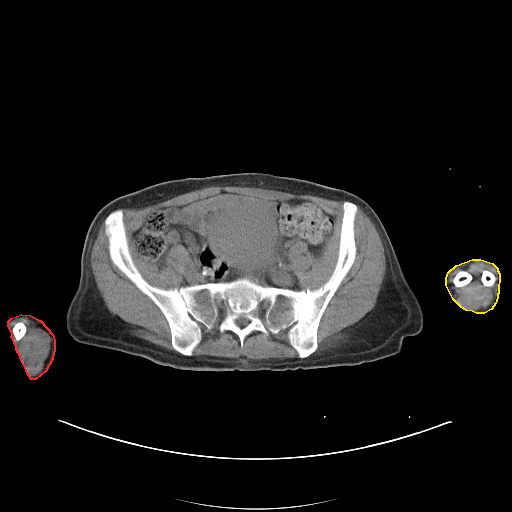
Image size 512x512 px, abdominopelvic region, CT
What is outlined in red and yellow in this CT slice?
red: right arm; yellow: left arm.
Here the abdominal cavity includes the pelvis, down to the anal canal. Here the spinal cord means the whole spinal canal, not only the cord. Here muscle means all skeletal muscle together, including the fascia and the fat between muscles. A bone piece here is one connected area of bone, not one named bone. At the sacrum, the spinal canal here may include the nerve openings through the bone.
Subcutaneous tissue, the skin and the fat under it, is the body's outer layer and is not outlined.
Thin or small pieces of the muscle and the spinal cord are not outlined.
{"right_arm":[[[21,314],[30,315],[40,320],[52,334],[54,340],[54,351],[53,352],[52,359],[45,371],[35,379],[31,379],[27,373],[25,367],[20,358],[20,356],[16,350],[16,346],[14,343],[13,339],[11,337],[12,333],[8,326],[8,321],[11,318]]],"left_arm":[[[472,259],[480,259],[492,263],[497,268],[497,270],[499,273],[498,293],[497,294],[497,297],[495,303],[491,309],[484,313],[476,313],[472,311],[466,310],[461,307],[453,299],[446,285],[446,278],[448,272],[456,265]]],"spinal_cord":[[[240,317],[243,317],[244,318],[245,318],[246,319],[247,319],[249,321],[249,322],[245,326],[244,326],[243,327],[241,327],[240,326],[239,326],[236,323],[236,320],[238,318],[239,318]]],"abdominal_cavity":[[[221,191],[275,201],[309,200],[334,216],[333,234],[321,253],[310,251],[305,240],[291,242],[286,254],[288,267],[298,281],[297,289],[262,284],[246,275],[186,285],[184,277],[194,262],[179,243],[168,251],[160,269],[142,259],[133,234],[148,215]]],"torso":[[[243,172],[269,173],[340,188],[359,196],[372,207],[388,234],[424,317],[422,330],[404,337],[399,353],[357,365],[313,369],[196,371],[177,369],[137,355],[80,343],[70,336],[65,321],[67,308],[79,282],[87,230],[103,205],[116,197],[168,180]]],"muscle":[[[210,186],[260,187],[343,201],[337,257],[328,279],[315,289],[298,289],[299,281],[289,267],[287,254],[292,242],[297,240],[305,241],[307,249],[313,254],[321,254],[334,234],[334,215],[309,199],[275,200],[221,190],[183,204],[159,207],[141,221],[132,236],[142,260],[160,270],[166,265],[169,251],[179,244],[189,252],[193,262],[187,275],[183,277],[185,285],[162,288],[148,282],[130,252],[121,208],[148,206]],[[357,205],[368,216],[374,224],[379,234],[384,248],[384,254],[386,260],[385,274],[374,307],[352,327],[345,340],[319,353],[312,354],[318,348],[318,329],[323,314],[342,281],[352,267],[356,258],[357,246],[354,228],[355,219],[358,212]],[[104,219],[104,233],[107,237],[108,242],[107,249],[111,261],[160,310],[168,324],[170,332],[171,346],[177,352],[168,350],[132,334],[123,325],[120,320],[115,318],[110,313],[107,308],[97,288],[91,268],[91,250],[92,246],[97,237],[99,226]],[[217,322],[218,330],[220,332],[230,331],[235,334],[242,348],[245,338],[254,331],[266,335],[269,333],[277,334],[281,330],[287,329],[286,335],[288,341],[296,351],[298,357],[245,360],[239,357],[192,355],[194,349],[202,340],[200,324],[210,330]],{"outer":[[21,318],[28,319],[41,327],[49,337],[49,351],[43,362],[43,366],[36,374],[33,374],[31,376],[27,373],[25,367],[20,358],[20,356],[16,350],[16,346],[13,339],[11,337],[12,333],[8,326],[8,324],[10,322],[12,323],[14,321]],"hole":[[19,321],[20,321],[21,322],[22,322],[25,325],[25,326],[26,327],[26,331],[25,332],[25,333],[24,334],[24,335],[19,340],[18,340],[14,336],[14,333],[13,332],[13,327],[14,326],[14,325],[17,322],[18,322]]},{"outer":[[475,262],[481,262],[489,265],[494,272],[494,274],[491,271],[486,269],[484,269],[482,272],[481,275],[482,284],[485,287],[491,287],[494,285],[492,289],[492,299],[490,303],[480,310],[468,308],[461,304],[454,296],[449,285],[449,277],[456,270]],"hole":[[459,271],[460,272],[461,271],[464,271],[465,272],[467,272],[468,273],[469,273],[471,275],[471,276],[472,277],[472,278],[471,279],[471,280],[467,284],[466,284],[463,286],[461,286],[460,287],[457,287],[453,283],[453,278],[456,275],[456,274]]}],"bones":[{"outer":[[344,201],[357,206],[355,258],[322,314],[317,348],[302,358],[287,328],[254,330],[242,347],[218,321],[210,329],[200,323],[201,340],[181,354],[161,310],[112,261],[105,233],[106,217],[121,209],[134,264],[162,289],[246,276],[315,290],[337,261]],"holes":[[[240,317],[243,317],[244,318],[245,318],[246,319],[247,319],[249,321],[249,322],[245,326],[244,326],[243,327],[241,327],[240,326],[239,326],[236,323],[236,320],[238,318],[239,318]],[[220,297],[221,297],[223,299],[223,304],[224,305],[224,308],[222,310],[219,310],[217,308],[217,307],[216,306],[216,305],[215,304],[215,300],[217,298],[219,298]],[[263,300],[266,300],[268,302],[268,305],[267,306],[267,307],[266,308],[266,309],[264,311],[263,311],[261,309],[261,302]]]},[[459,271],[460,272],[461,271],[464,271],[465,272],[467,272],[468,273],[469,273],[471,275],[471,276],[472,277],[472,278],[471,279],[471,280],[467,284],[466,284],[463,286],[461,286],[460,287],[457,287],[453,283],[453,278],[456,275],[456,274]],[[19,321],[20,321],[21,322],[22,322],[25,325],[25,326],[26,327],[26,331],[25,332],[25,333],[24,334],[24,335],[19,340],[18,340],[14,336],[14,333],[13,332],[13,327],[14,326],[14,325],[17,322],[18,322]],[[484,270],[486,270],[487,271],[489,271],[490,272],[491,272],[495,276],[495,277],[496,278],[496,279],[495,280],[495,281],[494,282],[494,283],[491,286],[485,286],[483,284],[483,283],[482,282],[482,275],[483,274],[483,272],[484,271]]]}